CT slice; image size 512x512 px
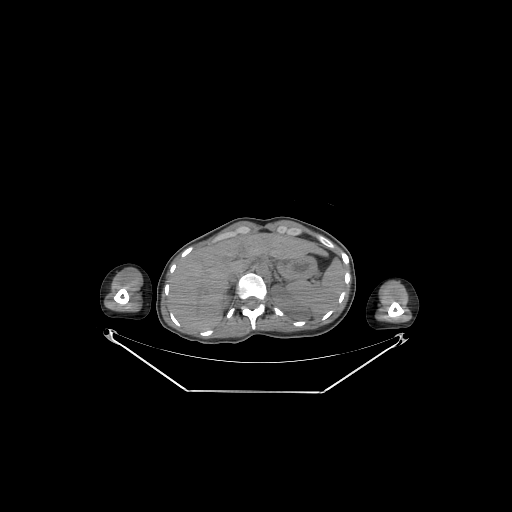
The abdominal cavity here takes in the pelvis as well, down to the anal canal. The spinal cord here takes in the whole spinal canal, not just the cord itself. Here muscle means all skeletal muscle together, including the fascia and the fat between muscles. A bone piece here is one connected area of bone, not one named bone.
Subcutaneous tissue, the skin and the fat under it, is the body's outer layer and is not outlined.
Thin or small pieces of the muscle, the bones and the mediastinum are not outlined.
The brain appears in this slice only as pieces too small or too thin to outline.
{"bones":[{"outer":[[247,272],[251,272],[260,276],[265,282],[267,290],[263,301],[265,304],[265,310],[262,314],[259,315],[256,318],[255,329],[254,330],[251,327],[251,323],[249,318],[247,316],[243,315],[241,312],[242,301],[236,293],[236,285],[238,280],[243,274]],"hole":[[249,297],[255,297],[257,299],[258,299],[259,300],[259,303],[257,305],[257,306],[256,306],[254,308],[253,308],[252,309],[251,309],[250,308],[249,308],[248,307],[247,307],[244,304],[244,301],[247,298],[248,298]]},[[240,226],[246,226],[248,227],[250,230],[249,232],[247,233],[239,233],[234,236],[232,236],[231,237],[226,237],[223,239],[220,239],[217,241],[212,242],[212,240],[216,236],[220,234],[222,234],[223,233],[228,232],[229,231],[233,231]],[[122,287],[125,287],[126,288],[126,289],[128,292],[128,294],[129,295],[129,299],[128,300],[128,301],[125,304],[120,304],[114,300],[114,296],[115,295],[115,294],[117,292],[117,291],[120,288],[121,288]],[[393,301],[396,301],[397,302],[398,302],[399,303],[399,304],[401,306],[401,307],[404,310],[404,311],[402,314],[401,314],[398,316],[396,316],[395,317],[391,317],[388,315],[388,308],[389,307],[389,306],[391,304],[391,303]],[[279,226],[285,226],[287,228],[298,228],[299,229],[300,229],[300,230],[301,231],[301,232],[299,234],[298,234],[297,235],[291,235],[290,234],[288,234],[287,233],[286,233],[285,232],[284,233],[281,233],[280,232],[278,232],[277,231],[277,228]],[[318,234],[321,234],[322,235],[323,235],[325,237],[326,237],[328,239],[329,239],[334,244],[334,247],[332,249],[331,249],[330,248],[329,248],[326,245],[325,245],[324,244],[323,244],[320,241],[319,241],[316,238],[316,236]],[[341,251],[343,251],[344,252],[345,252],[347,254],[347,255],[348,256],[348,257],[349,258],[349,263],[347,265],[345,265],[344,264],[344,263],[343,262],[343,261],[342,260],[342,258],[341,257],[341,256],[340,255],[340,253],[341,252]],[[346,271],[348,271],[350,273],[350,274],[351,275],[351,277],[350,278],[350,281],[349,282],[349,283],[348,284],[345,284],[344,283],[344,274],[345,273],[345,272]],[[189,246],[192,246],[192,250],[187,255],[186,255],[184,257],[182,257],[181,256],[181,253],[182,252],[182,251],[183,250],[184,250],[187,247],[188,247]],[[170,312],[171,312],[174,315],[174,316],[176,318],[176,319],[177,320],[177,321],[181,325],[180,326],[177,326],[172,321],[172,320],[171,319],[171,318],[170,317],[170,314],[169,313]],[[330,309],[333,309],[333,311],[332,312],[332,313],[327,318],[326,318],[325,319],[324,319],[323,320],[322,320],[321,319],[321,317],[327,311],[328,311]],[[343,290],[344,291],[345,291],[345,295],[344,296],[344,297],[343,298],[343,299],[342,300],[342,301],[340,303],[337,303],[337,302],[338,301],[338,300],[339,299],[339,294],[340,293],[340,292],[341,292]],[[212,330],[213,330],[213,331],[212,332],[212,333],[211,334],[210,334],[209,335],[208,335],[207,336],[201,336],[200,335],[200,334],[199,333],[201,331],[211,331]],[[232,307],[233,307],[234,308],[234,311],[233,312],[233,313],[232,314],[232,315],[229,318],[227,318],[226,317],[226,315],[227,314],[227,313],[228,312],[228,311],[229,310],[229,309],[230,308],[231,308]],[[172,263],[173,263],[174,263],[175,264],[176,265],[176,266],[176,267],[175,268],[175,269],[175,270],[174,271],[174,272],[173,273],[172,274],[171,273],[170,272],[169,271],[169,270],[169,269],[169,268],[170,267],[170,266],[170,265],[171,264]],[[273,307],[275,307],[278,310],[279,310],[280,311],[281,311],[282,312],[283,312],[284,313],[284,314],[283,315],[282,315],[281,316],[280,315],[277,315],[274,312],[274,311],[273,310]]],"abdominal_cavity":[[[262,230],[316,242],[326,246],[341,258],[344,284],[334,306],[319,318],[295,319],[273,304],[264,279],[258,274],[247,271],[237,280],[233,301],[216,328],[197,332],[185,330],[175,315],[167,308],[170,280],[177,266],[190,253],[212,243],[239,234]]],"spinal_cord":[[[249,297],[255,297],[257,299],[258,299],[259,300],[259,303],[257,305],[257,306],[256,306],[254,308],[253,308],[252,309],[251,309],[250,308],[249,308],[248,307],[247,307],[244,304],[244,301],[247,298],[248,298]]],"muscle":[[[351,278],[350,292],[347,302],[342,311],[331,322],[314,329],[290,332],[256,330],[256,320],[266,310],[266,304],[264,301],[265,300],[268,292],[267,285],[268,288],[268,294],[274,306],[272,307],[273,312],[277,316],[281,317],[285,313],[287,314],[297,320],[294,320],[292,324],[295,327],[300,327],[303,326],[306,321],[312,321],[320,318],[322,321],[327,319],[334,311],[332,308],[343,301],[346,295],[344,285],[348,285]],{"outer":[[125,267],[134,267],[136,268],[141,273],[143,277],[143,284],[140,289],[140,291],[142,294],[143,302],[142,303],[141,309],[139,311],[136,312],[121,312],[120,311],[114,311],[107,308],[104,305],[104,298],[110,291],[110,286],[113,277],[118,271]],"hole":[[122,287],[125,287],[126,288],[126,289],[128,292],[128,294],[129,295],[129,299],[128,300],[128,301],[125,304],[120,304],[114,300],[114,296],[115,295],[115,294],[117,292],[117,291],[120,288],[121,288]]},[[163,286],[171,321],[177,327],[182,326],[187,332],[199,332],[198,333],[201,337],[207,337],[211,335],[225,316],[229,319],[233,315],[235,308],[231,306],[236,294],[241,301],[240,312],[248,318],[252,330],[238,337],[216,338],[198,337],[181,332],[167,324],[162,316],[160,303]],{"outer":[[390,280],[397,280],[399,281],[404,285],[408,293],[408,306],[411,311],[412,315],[411,318],[407,321],[404,322],[398,322],[397,323],[395,322],[379,321],[377,320],[374,316],[375,312],[379,306],[379,297],[378,296],[379,289],[384,283]],"hole":[[393,301],[396,301],[397,302],[398,302],[399,303],[399,304],[401,306],[401,307],[404,310],[404,311],[402,314],[401,314],[398,316],[396,316],[395,317],[391,317],[388,315],[388,308],[389,307],[389,306],[391,304],[391,303]]},[[279,220],[290,220],[299,223],[318,233],[315,237],[313,235],[305,232],[300,234],[302,231],[298,227],[287,227],[285,225],[279,225],[276,228],[276,231],[262,229],[259,231],[250,232],[251,230],[248,226],[246,225],[240,225],[233,230],[229,230],[216,235],[211,240],[211,243],[205,245],[195,251],[192,251],[193,250],[193,246],[192,245],[207,239],[233,223],[239,221],[249,221],[260,225],[264,225],[267,223]],[[180,253],[180,256],[182,258],[183,258],[183,259],[177,265],[174,262],[172,262],[173,261],[173,260],[175,258],[175,257],[177,255],[178,255]],[[335,244],[336,244],[339,247],[340,247],[343,250],[341,250],[340,251],[340,252],[339,253],[339,255],[338,255],[337,254],[336,254],[334,252],[333,252],[331,250],[332,250],[335,247]],[[168,269],[168,271],[171,274],[171,277],[170,278],[170,279],[169,280],[169,283],[168,282],[166,282],[164,284],[164,283],[165,282],[165,278],[166,277],[166,273],[167,272],[167,271],[168,270]]],"mediastinum":[[[304,233],[313,236],[319,242],[320,242],[322,244],[321,244],[320,243],[319,243],[316,241],[314,241],[313,240],[310,240],[309,239],[306,239],[305,238],[302,238],[299,236],[297,236],[298,235],[301,235]]],"right_arm":[[[125,262],[133,262],[141,266],[147,272],[151,280],[152,289],[153,290],[153,294],[152,295],[152,299],[151,300],[151,308],[147,316],[140,320],[111,319],[109,317],[106,316],[102,312],[99,305],[99,289],[103,278],[108,271],[109,271],[113,267]]],"torso":[[[278,215],[295,217],[318,226],[335,236],[350,251],[355,267],[356,291],[349,311],[335,327],[321,335],[311,337],[275,338],[253,335],[241,342],[214,345],[188,341],[162,327],[156,315],[156,287],[165,263],[176,250],[233,218],[242,216],[269,218]]],"left_arm":[[[391,276],[399,276],[405,278],[413,285],[419,298],[419,311],[417,317],[412,325],[409,327],[406,327],[402,329],[378,329],[377,330],[376,329],[373,329],[368,325],[365,317],[365,307],[366,306],[367,299],[373,288],[380,281],[383,280],[385,278]]]}